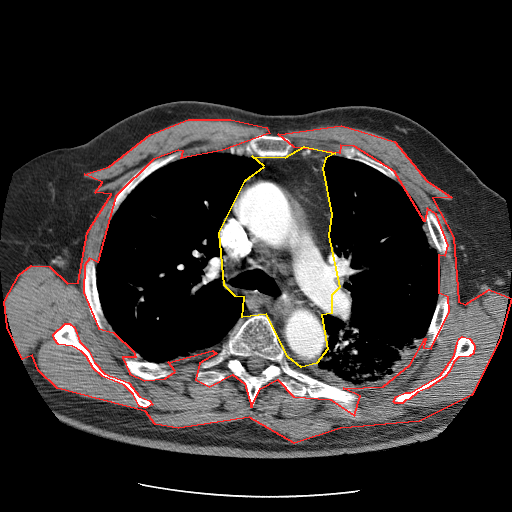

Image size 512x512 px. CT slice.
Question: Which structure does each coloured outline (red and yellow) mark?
Answer: red: muscle; yellow: mediastinum.
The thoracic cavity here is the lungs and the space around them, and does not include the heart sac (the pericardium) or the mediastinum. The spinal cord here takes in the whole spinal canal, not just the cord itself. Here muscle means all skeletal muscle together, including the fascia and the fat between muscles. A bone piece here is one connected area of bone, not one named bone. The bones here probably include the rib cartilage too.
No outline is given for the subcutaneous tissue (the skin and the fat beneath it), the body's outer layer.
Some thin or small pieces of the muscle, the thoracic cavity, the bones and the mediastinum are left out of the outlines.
{"muscle":[{"outer":[[188,119],[230,119],[266,127],[269,133],[222,150],[181,158],[183,151],[178,150],[153,159],[115,196],[97,262],[89,258],[84,265],[83,292],[98,328],[113,332],[133,351],[135,357],[122,357],[129,373],[144,380],[165,378],[175,371],[168,362],[212,350],[216,353],[199,363],[195,379],[209,386],[232,374],[244,383],[251,407],[260,388],[277,379],[293,396],[330,399],[354,415],[360,396],[343,388],[383,386],[410,364],[425,338],[423,347],[431,348],[449,311],[448,297],[439,293],[439,254],[445,255],[448,245],[436,214],[427,208],[424,221],[394,171],[354,146],[340,145],[339,153],[294,147],[278,134],[341,125],[394,141],[426,180],[451,197],[432,198],[453,237],[458,301],[465,304],[489,289],[511,298],[499,340],[471,395],[419,421],[340,428],[294,443],[249,417],[178,428],[155,424],[145,411],[57,388],[38,370],[32,355],[22,359],[7,327],[4,301],[19,274],[31,265],[49,266],[67,283],[78,282],[87,232],[111,194],[95,192],[102,182],[84,174],[109,166],[150,134]],"holes":[[[65,323],[69,323],[74,327],[79,341],[88,350],[94,362],[104,373],[128,382],[139,396],[149,400],[152,404],[145,408],[139,406],[133,394],[124,385],[102,376],[93,368],[86,356],[81,351],[72,346],[58,344],[54,339],[53,334]],[[462,336],[469,338],[473,343],[474,346],[473,353],[469,356],[458,357],[453,362],[449,371],[444,377],[427,388],[417,392],[409,399],[405,400],[402,403],[395,403],[393,401],[396,396],[405,392],[410,392],[440,375],[454,355],[457,342],[459,338]]]}],"mediastinum":[[[304,146],[335,153],[325,158],[322,168],[331,214],[328,235],[339,287],[331,295],[331,313],[321,315],[327,349],[316,363],[301,367],[288,357],[266,314],[242,317],[244,297],[235,296],[224,285],[219,232],[245,180],[264,166],[252,156],[285,157]]],"bones":[{"outer":[[254,314],[264,314],[270,319],[292,365],[357,394],[359,399],[354,403],[357,412],[346,411],[330,398],[314,398],[307,393],[293,395],[277,378],[259,388],[253,406],[245,383],[232,373],[209,385],[198,381],[195,373],[200,363],[214,356],[234,327]],"hole":[[251,356],[258,356],[259,357],[264,359],[266,362],[265,363],[265,366],[264,367],[264,368],[262,370],[261,370],[259,372],[259,373],[258,373],[257,374],[252,374],[247,369],[247,368],[246,367],[246,361],[247,360],[247,358],[248,358]]},[[65,323],[69,323],[74,327],[79,341],[88,350],[94,362],[104,373],[128,382],[139,396],[149,400],[152,404],[145,408],[139,406],[133,394],[124,385],[102,376],[93,368],[86,356],[81,351],[72,346],[58,344],[54,339],[53,334]],[[260,134],[280,135],[281,136],[287,137],[291,141],[293,148],[289,152],[289,153],[285,156],[275,156],[274,157],[272,157],[271,156],[266,156],[265,157],[261,157],[256,154],[251,156],[247,156],[246,155],[246,150],[242,144],[245,144],[250,139]],[[89,259],[93,259],[95,264],[96,286],[97,287],[99,301],[103,312],[103,315],[106,321],[111,327],[113,331],[112,332],[111,332],[106,327],[105,330],[102,331],[97,325],[89,310],[89,307],[84,292],[84,268],[87,261]],[[178,151],[182,151],[182,153],[177,159],[171,161],[165,165],[156,169],[144,178],[127,195],[125,199],[120,204],[111,218],[110,219],[108,218],[108,214],[110,211],[111,206],[119,191],[123,185],[141,167],[153,160],[159,158],[163,158],[172,153]],[[135,353],[138,354],[139,356],[138,359],[142,361],[148,361],[154,363],[171,363],[172,364],[169,367],[171,369],[174,369],[174,371],[165,377],[156,379],[144,379],[132,374],[128,371],[125,366],[123,357],[125,356],[135,358],[136,357],[134,354]],[[462,336],[469,338],[473,343],[474,346],[473,353],[469,356],[458,357],[453,362],[449,371],[444,377],[427,388],[417,392],[409,399],[405,400],[402,403],[395,403],[393,401],[396,396],[405,392],[410,392],[440,375],[454,355],[457,342],[459,338]],[[439,294],[445,295],[447,297],[448,299],[448,311],[445,318],[445,321],[443,324],[443,327],[440,331],[436,340],[429,349],[426,349],[424,347],[424,344],[426,341],[426,334],[427,333],[428,328],[431,323],[431,321],[436,308],[436,305],[438,301]],[[427,209],[430,210],[435,214],[436,218],[442,230],[444,232],[444,235],[446,240],[446,244],[447,245],[447,249],[445,254],[439,253],[437,250],[430,244],[429,242],[430,238],[428,235],[428,230],[426,227],[426,222],[425,221],[425,214]],[[340,146],[346,146],[347,147],[354,147],[364,154],[385,164],[387,166],[388,166],[395,174],[395,180],[394,179],[392,179],[388,177],[377,169],[363,162],[361,162],[360,161],[358,161],[354,159],[348,158],[340,154],[340,151],[339,150],[339,147]]],"spinal_cord":[[[251,356],[258,356],[259,357],[264,359],[266,362],[265,363],[265,366],[264,367],[264,368],[262,370],[261,370],[259,372],[259,373],[258,373],[257,374],[252,374],[247,369],[247,368],[246,367],[246,361],[247,360],[247,358],[248,358]]],"torso":[[[178,100],[207,101],[269,115],[302,114],[348,105],[392,110],[428,129],[505,199],[511,238],[508,314],[473,392],[435,437],[337,456],[235,458],[122,443],[71,427],[55,415],[30,377],[4,313],[0,238],[13,173],[42,153],[83,144],[131,114]]],"thoracic_cavity":[[[209,151],[252,157],[263,164],[244,180],[218,232],[223,250],[223,285],[235,297],[243,297],[245,308],[241,317],[245,319],[233,327],[217,352],[194,351],[167,362],[142,360],[118,337],[104,315],[96,276],[102,240],[114,214],[144,179],[171,162]],[[336,154],[377,170],[407,192],[421,213],[428,242],[439,259],[439,292],[425,337],[409,364],[389,382],[371,388],[342,388],[296,366],[316,364],[328,349],[329,335],[322,315],[332,313],[332,295],[340,287],[329,235],[332,214],[323,168],[326,158]]]}